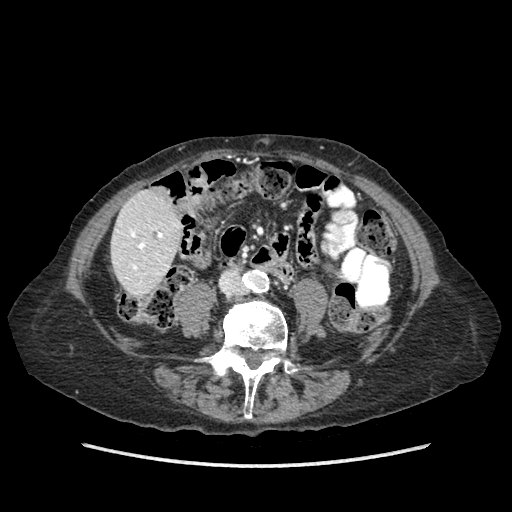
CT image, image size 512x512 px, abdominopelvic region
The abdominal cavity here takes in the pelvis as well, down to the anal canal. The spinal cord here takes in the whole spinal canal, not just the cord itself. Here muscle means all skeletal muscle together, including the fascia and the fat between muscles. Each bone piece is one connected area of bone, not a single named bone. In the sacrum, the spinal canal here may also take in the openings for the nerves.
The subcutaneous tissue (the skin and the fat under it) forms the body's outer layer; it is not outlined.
Outlines:
torso: 246,133 334,139 388,170 435,222 448,249 474,276 499,314 500,331 481,376 425,402 357,424 301,432 269,430 251,437 187,429 167,432 118,421 28,373 8,311 54,256 84,203 125,167 163,148 205,135
abdominal cavity: 244,156 338,174 389,214 412,280 401,320 312,363 299,349 329,305 313,277 289,289 293,329 265,299 215,317 216,290 193,281 177,317 187,338 204,342 195,353 159,349 101,317 91,261 126,200 182,167
bones: 253,299 268,301 281,309 288,325 285,356 311,368 289,374 279,364 272,373 265,374 254,395 252,417 247,419 243,415 245,389 241,376 230,367 223,376 217,376 207,362 194,359 221,347 221,320 228,308 with a hole at 246,348 249,348 254,351 256,351 257,350 262,350 264,351 263,353 263,355 262,356 262,361 261,363 256,368 254,369 252,369 250,368 245,358 242,354 242,351 243,349 245,349
spinal cord: 246,348 249,348 254,351 256,351 257,350 262,350 264,351 263,353 263,355 262,356 262,361 261,363 256,368 254,369 252,369 250,368 245,358 242,354 242,351 243,349 245,349
muscle: 216,148 234,148 235,149 244,149 245,150 252,150 253,149 263,151 275,150 276,149 287,149 299,152 304,152 315,157 321,158 352,174 361,175 374,181 398,200 417,220 424,231 424,233 430,244 434,256 435,268 440,278 441,283 432,291 425,300 425,303 413,314 409,324 405,328 405,330 400,337 378,356 376,361 371,365 363,376 356,380 344,394 333,402 320,409 318,409 316,411 296,417 289,421 278,422 277,423 260,423 259,424 246,421 239,423 224,422 209,418 205,415 199,415 181,408 179,405 175,404 166,397 157,387 146,379 141,373 135,370 130,361 121,354 100,331 92,320 92,317 89,315 87,311 87,308 78,299 75,298 72,294 65,289 65,282 67,276 66,272 68,269 67,268 68,263 75,240 88,220 105,202 120,189 136,180 152,176 182,159 190,157 193,155 196,155 200,152 with a hole at 244,156 360,189 389,214 412,280 401,320 318,363 299,349 328,293 313,277 292,285 285,356 311,368 265,374 249,419 241,376 194,361 224,340 213,287 195,280 178,298 195,353 118,331 88,291 126,200